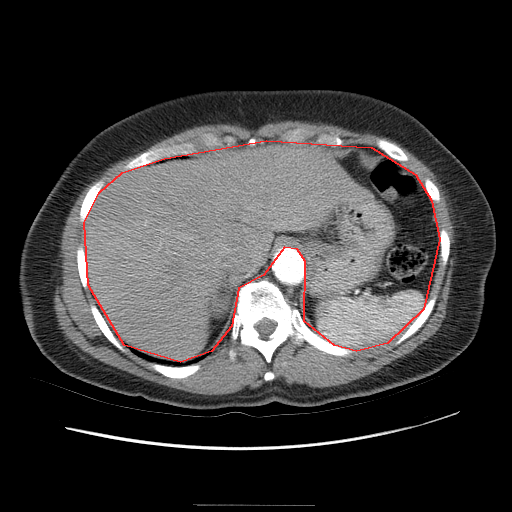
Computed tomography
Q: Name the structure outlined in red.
A: red: abdominal cavity.
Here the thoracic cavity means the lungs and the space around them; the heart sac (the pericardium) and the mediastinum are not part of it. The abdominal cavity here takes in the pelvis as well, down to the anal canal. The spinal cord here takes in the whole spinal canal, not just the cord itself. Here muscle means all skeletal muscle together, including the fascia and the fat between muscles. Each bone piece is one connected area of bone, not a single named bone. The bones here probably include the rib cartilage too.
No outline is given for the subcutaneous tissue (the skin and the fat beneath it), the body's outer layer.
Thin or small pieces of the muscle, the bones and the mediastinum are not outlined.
{"abdominal_cavity":[[[266,140],[371,147],[415,174],[431,200],[439,239],[423,309],[387,343],[356,351],[334,345],[304,321],[305,261],[297,249],[284,247],[263,275],[238,288],[231,326],[211,351],[180,362],[124,345],[88,285],[84,222],[99,192],[122,172],[164,158]]],"mediastinum":[[[284,248],[294,248],[301,255],[304,261],[304,267],[305,268],[304,269],[304,277],[302,281],[301,289],[299,292],[299,310],[296,307],[293,307],[290,305],[284,293],[277,284],[266,278],[258,279],[263,276],[268,271],[271,261],[274,256],[279,251]]],"torso":[[[296,88],[359,92],[398,106],[418,119],[475,178],[494,217],[496,251],[485,282],[480,326],[470,344],[429,376],[315,406],[273,401],[257,406],[186,408],[114,392],[59,370],[29,332],[16,280],[26,234],[71,158],[106,127],[162,99],[211,89]]],"muscle":[{"outer":[[282,120],[301,120],[312,122],[320,121],[324,123],[339,126],[355,132],[370,133],[378,136],[387,137],[400,144],[418,159],[421,160],[436,176],[437,180],[441,184],[442,188],[445,190],[448,196],[448,199],[450,201],[450,205],[453,210],[452,219],[455,233],[455,264],[452,273],[449,297],[446,308],[446,315],[439,329],[432,336],[414,349],[412,352],[395,359],[377,371],[364,377],[353,380],[346,384],[323,388],[312,388],[305,384],[297,383],[292,385],[287,385],[281,381],[276,380],[270,383],[266,382],[260,387],[255,389],[249,389],[247,387],[233,393],[220,395],[206,395],[192,393],[144,379],[139,376],[136,376],[98,361],[83,352],[77,346],[66,339],[58,326],[58,322],[53,308],[54,291],[58,283],[59,277],[58,272],[59,267],[57,265],[59,262],[58,257],[60,250],[59,245],[61,239],[61,233],[63,230],[66,218],[79,194],[87,184],[90,183],[112,164],[151,146],[167,136],[171,136],[194,126],[217,123],[230,123],[231,124],[238,123],[249,129],[257,129],[264,124]],"holes":[[[295,128],[313,131],[305,140],[311,143],[323,133],[337,135],[352,147],[379,150],[378,139],[394,143],[408,157],[403,165],[421,184],[428,178],[437,187],[440,199],[431,201],[434,218],[438,231],[447,232],[450,247],[445,266],[439,259],[430,294],[436,300],[423,324],[398,344],[396,338],[345,356],[306,341],[297,345],[289,337],[269,363],[256,348],[232,340],[230,327],[197,362],[199,369],[182,378],[158,372],[125,345],[125,351],[117,348],[95,321],[90,307],[95,300],[89,286],[83,287],[77,266],[77,249],[84,238],[79,212],[89,188],[101,179],[105,186],[145,151],[195,142],[202,133],[230,135],[235,139],[230,145],[236,146],[252,137],[281,140]],[[269,370],[270,371],[271,371],[274,374],[274,378],[272,380],[269,380],[268,381],[266,381],[264,379],[264,374],[265,373],[265,372],[266,372],[267,371],[268,371]],[[230,349],[234,349],[235,350],[235,351],[236,352],[236,355],[235,356],[235,357],[234,358],[234,359],[233,360],[232,360],[229,357],[229,351],[230,350]]]}],"bones":[{"outer":[[262,279],[273,282],[279,287],[289,305],[299,311],[305,324],[320,338],[334,346],[354,352],[345,356],[334,355],[306,341],[297,345],[289,337],[275,349],[269,363],[256,348],[241,344],[239,339],[232,340],[230,332],[236,310],[237,291],[249,280]],"hole":[[263,318],[267,318],[270,320],[273,320],[276,322],[276,326],[275,327],[274,330],[267,337],[267,339],[262,339],[261,338],[260,338],[259,337],[259,336],[260,335],[259,334],[259,333],[257,331],[257,330],[255,328],[255,325],[260,320],[261,320]]},[[208,132],[212,132],[220,137],[225,135],[234,137],[235,141],[229,146],[225,144],[222,146],[213,146],[209,148],[200,146],[198,148],[198,151],[191,154],[171,155],[131,169],[124,168],[124,166],[128,162],[145,151],[182,142],[195,142],[202,133]],[[151,362],[157,363],[158,364],[162,364],[163,365],[167,365],[168,366],[176,366],[177,367],[186,366],[187,365],[198,363],[199,364],[199,369],[194,373],[190,374],[188,376],[182,378],[173,378],[172,377],[168,377],[155,370],[150,365]],[[433,296],[436,296],[436,300],[435,301],[434,306],[427,319],[414,333],[403,340],[400,343],[395,344],[395,342],[397,339],[401,336],[402,334],[406,331],[406,330],[408,329],[410,325],[418,317],[424,309],[426,304],[430,298]],[[101,179],[103,179],[104,180],[104,183],[101,189],[98,192],[89,210],[89,212],[87,214],[87,216],[85,218],[84,221],[82,222],[79,220],[79,212],[80,211],[80,207],[81,206],[82,201],[87,191],[89,189],[89,188],[95,182]],[[91,304],[95,304],[95,305],[99,310],[101,315],[105,320],[105,322],[107,324],[108,327],[110,329],[112,333],[124,346],[125,351],[122,351],[118,348],[117,348],[104,335],[102,331],[97,325],[95,321],[95,319],[91,312],[91,308],[90,307]],[[378,139],[384,139],[387,141],[389,141],[392,143],[394,143],[395,144],[396,144],[402,149],[402,150],[408,157],[408,160],[407,161],[399,161],[396,159],[394,159],[393,158],[390,157],[386,153],[385,153],[382,150],[381,150],[377,146],[377,140]],[[295,128],[305,128],[306,129],[308,129],[309,130],[311,130],[314,132],[314,135],[311,137],[309,137],[307,139],[306,139],[303,141],[288,141],[287,140],[284,140],[283,139],[282,139],[282,134],[289,129],[294,129]],[[79,246],[82,246],[83,248],[83,252],[84,253],[84,256],[85,257],[85,264],[86,265],[86,269],[87,270],[87,287],[86,288],[84,288],[82,285],[82,283],[81,282],[81,280],[79,276],[78,267],[77,266],[77,249]],[[323,133],[325,133],[326,134],[334,134],[335,135],[339,136],[344,140],[345,142],[344,145],[342,146],[337,146],[336,147],[333,147],[330,145],[324,145],[323,144],[320,144],[319,143],[315,143],[314,142],[315,138],[318,135],[322,134]],[[442,229],[444,229],[447,232],[448,234],[448,236],[449,237],[449,242],[450,243],[450,247],[449,248],[449,255],[448,256],[448,258],[447,259],[447,262],[445,266],[443,266],[442,265],[442,261],[440,258],[440,239],[439,238],[439,232]],[[426,178],[428,178],[430,179],[437,187],[439,191],[439,196],[440,197],[440,199],[439,201],[434,201],[432,200],[428,195],[428,193],[426,191],[426,189],[424,185],[425,183],[425,179]]],"spinal_cord":[[[263,318],[267,318],[270,320],[273,320],[276,322],[276,326],[275,327],[274,330],[267,337],[267,339],[262,339],[261,338],[260,338],[259,337],[259,336],[260,335],[259,334],[259,333],[257,331],[257,330],[255,328],[255,325],[260,320],[261,320]]],"thoracic_cavity":[[[128,348],[132,348],[139,352],[141,352],[143,354],[150,356],[152,358],[165,360],[170,362],[179,362],[180,363],[189,362],[196,358],[204,356],[208,352],[210,351],[210,352],[197,362],[177,366],[176,365],[168,365],[153,361],[149,361],[138,356]]]}